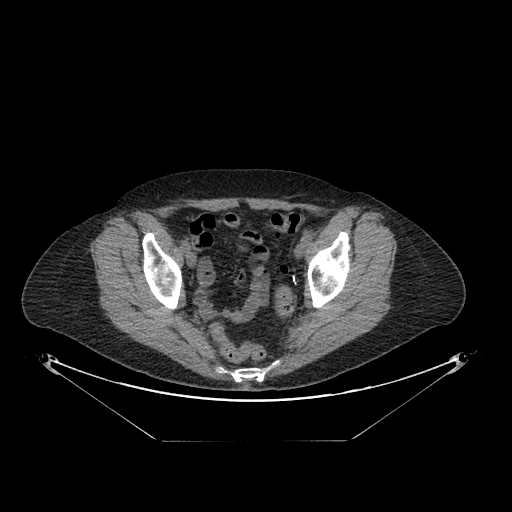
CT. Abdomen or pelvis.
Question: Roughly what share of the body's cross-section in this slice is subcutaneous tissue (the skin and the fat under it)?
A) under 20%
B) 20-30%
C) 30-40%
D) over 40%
Answer: C) 30-40%
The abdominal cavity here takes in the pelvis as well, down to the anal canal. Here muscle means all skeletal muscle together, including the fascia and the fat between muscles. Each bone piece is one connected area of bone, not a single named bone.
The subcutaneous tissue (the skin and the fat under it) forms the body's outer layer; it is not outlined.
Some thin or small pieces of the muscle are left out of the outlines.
{"abdominal_cavity":[[[240,203],[245,203],[254,210],[290,210],[300,208],[314,215],[327,217],[328,220],[306,251],[302,304],[297,318],[285,336],[280,355],[264,365],[236,368],[224,363],[194,320],[186,299],[183,254],[161,219],[182,208],[193,207],[216,212],[237,207]]],"muscle":[{"outer":[[227,197],[377,209],[393,227],[397,243],[387,314],[368,332],[292,372],[264,381],[266,374],[282,362],[278,358],[303,304],[307,251],[329,218],[300,207],[254,209],[245,202],[216,211],[187,206],[160,220],[182,254],[185,299],[193,320],[223,363],[235,368],[219,364],[213,369],[217,374],[230,375],[235,382],[203,376],[128,337],[109,322],[96,298],[89,245],[99,228],[123,210],[181,199]],"holes":[[[340,231],[347,232],[349,237],[349,244],[350,245],[350,248],[348,251],[348,255],[349,256],[349,271],[342,290],[336,296],[325,303],[321,307],[315,308],[312,305],[309,285],[307,281],[308,263],[312,256],[319,250],[328,247],[337,237]],[[147,232],[152,232],[154,234],[154,237],[161,249],[165,253],[171,256],[179,265],[181,269],[182,286],[180,289],[177,307],[175,309],[168,308],[161,303],[154,296],[150,290],[150,288],[145,279],[143,268],[142,267],[143,249],[141,242],[144,234]]]}],"bones":[[[340,231],[347,232],[349,237],[349,244],[350,245],[350,248],[348,251],[348,255],[349,256],[349,271],[342,290],[336,296],[325,303],[321,307],[315,308],[312,305],[309,285],[307,281],[308,263],[312,256],[319,250],[328,247],[337,237]],[[147,232],[152,232],[154,234],[154,237],[161,249],[165,253],[171,256],[179,265],[181,269],[182,286],[180,289],[177,307],[175,309],[168,308],[161,303],[154,296],[150,290],[150,288],[145,279],[143,268],[142,267],[143,249],[141,242],[144,234]],[[276,359],[280,359],[281,361],[280,364],[269,370],[265,374],[264,379],[261,382],[257,381],[254,377],[250,379],[243,378],[240,382],[236,382],[230,374],[228,373],[217,373],[214,369],[216,366],[219,365],[228,369],[236,369],[243,367],[264,367]]],"torso":[[[205,168],[291,170],[374,196],[417,223],[453,259],[465,283],[463,308],[451,323],[433,327],[332,379],[296,389],[259,392],[217,391],[155,379],[64,335],[31,324],[21,308],[22,288],[33,265],[54,239],[111,208],[121,195],[141,183],[174,172]]]}